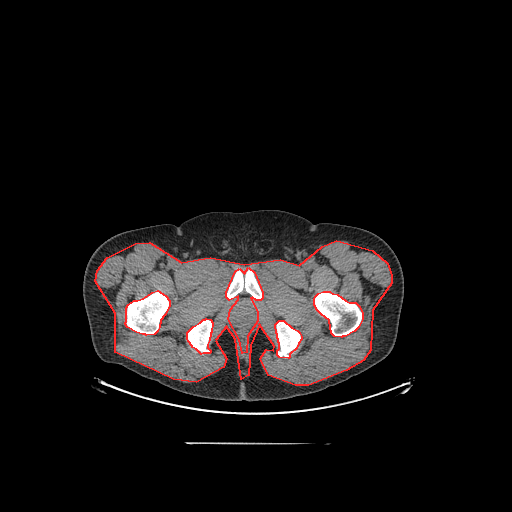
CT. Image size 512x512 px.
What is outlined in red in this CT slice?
red: muscle.
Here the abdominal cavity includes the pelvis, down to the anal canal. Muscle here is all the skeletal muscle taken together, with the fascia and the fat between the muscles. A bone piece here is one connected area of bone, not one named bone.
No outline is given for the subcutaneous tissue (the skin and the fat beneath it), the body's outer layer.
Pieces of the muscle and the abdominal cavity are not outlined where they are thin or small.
The muscle is outlined by 336,240 372,250 387,263 391,275 391,283 372,310 370,350 363,360 346,370 308,385 295,385 268,375 260,358 266,349 273,350 274,346 259,324 250,345 248,375 241,379 235,339 226,326 215,340 226,358 223,367 196,382 173,379 115,352 115,313 95,281 97,270 107,257 135,243 149,242 181,262 210,257 244,264 280,259 299,265 322,246 with holes at 248,267 254,272 262,292 262,298 260,300 256,300 252,297 250,298 257,311 257,321 247,336 246,352 242,353 239,339 228,319 230,309 238,299 238,296 229,300 226,297 226,292 235,271 239,268 244,273 and at 323,291 329,291 332,293 337,294 345,300 349,302 355,302 358,305 362,312 362,319 358,327 354,331 345,336 342,336 341,337 334,336 331,333 329,320 321,314 317,310 314,305 314,298 315,296 318,293 and at 157,290 165,295 169,300 169,306 164,315 160,320 159,327 157,331 154,334 146,335 145,334 142,334 136,332 127,327 125,324 125,322 126,321 126,307 128,304 134,300 137,300 143,298 152,292 and at 279,320 283,320 291,327 297,330 299,332 301,336 301,339 298,343 296,348 289,354 289,357 288,358 279,357 277,355 277,350 279,348 279,343 278,342 278,339 277,338 277,334 276,333 275,324 and at 206,318 210,319 212,322 211,332 210,333 209,340 207,344 207,347 210,350 210,352 209,353 203,353 201,354 196,349 192,347 192,346 188,341 187,339 187,332 193,326 200,322 203,319 205,319. The bones appear in 5 outlined pieces: piece 1: 323,291 329,291 332,293 337,294 345,300 349,302 355,302 358,305 362,312 362,319 358,327 354,331 345,336 342,336 341,337 334,336 331,333 329,320 321,314 317,310 314,305 314,298 315,296 318,293; piece 2: 157,290 165,295 169,300 169,306 164,315 160,320 159,327 157,331 154,334 146,335 145,334 142,334 136,332 127,327 125,324 125,322 126,321 126,307 128,304 134,300 137,300 143,298 152,292; piece 3: 248,267 249,267 254,272 254,275 260,286 260,288 262,292 262,298 260,300 256,300 247,292 246,292 244,289 232,299 230,300 227,299 226,297 227,288 234,275 235,271 239,268 242,272 244,273; piece 4: 279,320 283,320 291,327 297,330 299,332 301,336 301,339 298,343 296,348 289,354 289,357 288,358 279,357 277,355 277,350 279,348 279,343 278,342 278,339 277,338 277,334 276,333 275,324; piece 5: 206,318 210,319 212,322 211,332 210,333 209,340 207,344 207,347 210,350 210,352 209,353 203,353 201,354 196,349 192,347 192,346 188,341 187,339 187,332 193,326 200,322 203,319 205,319. The torso is outlined by 260,209 288,211 314,223 361,227 389,244 403,271 404,295 396,341 384,359 362,373 319,392 283,400 249,402 213,400 178,392 99,358 91,341 82,283 86,264 102,242 122,231 163,223 178,225 206,212. The abdominal cavity is outlined by 247,293 250,296 249,297 257,311 257,321 254,324 247,336 247,349 246,352 242,353 240,350 239,339 234,328 232,326 232,324 230,323 228,319 228,314 232,307 232,305 238,299 238,295 239,294 246,294.